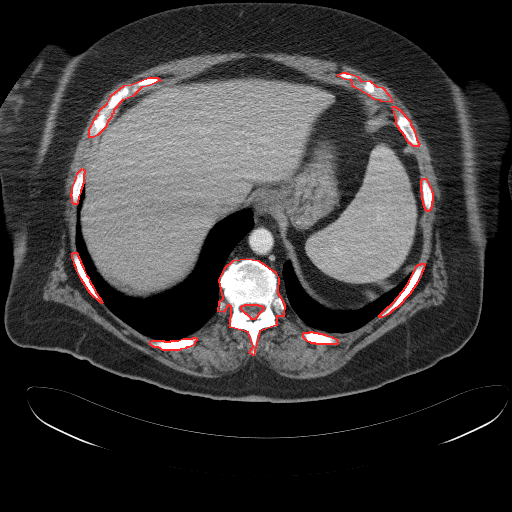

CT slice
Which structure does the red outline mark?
red: bones.
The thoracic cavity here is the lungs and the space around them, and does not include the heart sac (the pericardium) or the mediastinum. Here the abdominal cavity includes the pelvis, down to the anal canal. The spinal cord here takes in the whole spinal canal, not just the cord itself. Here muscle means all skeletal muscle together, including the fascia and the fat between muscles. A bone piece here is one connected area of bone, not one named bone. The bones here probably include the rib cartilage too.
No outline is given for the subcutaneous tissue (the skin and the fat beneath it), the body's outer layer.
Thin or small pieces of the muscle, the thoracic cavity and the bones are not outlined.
The bones appear in 10 outlined pieces: piece 1: [[246,258],[258,260],[275,272],[278,278],[277,292],[284,304],[283,316],[276,316],[276,325],[259,331],[253,355],[249,352],[253,346],[248,332],[230,327],[231,306],[228,304],[223,312],[218,311],[219,301],[223,298],[219,280],[225,267],[233,260]]; inner edge: [[245,304],[257,304],[258,305],[261,305],[263,307],[263,309],[257,315],[257,316],[254,319],[251,319],[251,318],[247,314],[246,314],[241,309],[241,306],[242,305],[244,305]]; piece 2: [[148,77],[157,77],[160,80],[150,85],[141,87],[132,96],[122,100],[113,110],[113,113],[111,114],[111,117],[107,121],[105,127],[97,135],[93,137],[89,137],[89,130],[94,119],[98,114],[99,110],[107,103],[111,95],[124,85],[131,84]]; piece 3: [[342,72],[345,72],[346,73],[349,73],[355,75],[357,76],[361,81],[369,80],[376,86],[382,87],[389,95],[391,99],[391,102],[381,101],[380,100],[374,99],[369,95],[354,87],[352,85],[352,81],[351,80],[344,79],[338,76],[338,74]]; piece 4: [[421,263],[424,263],[423,269],[421,272],[421,274],[417,282],[409,294],[397,307],[392,310],[388,314],[382,317],[379,317],[379,315],[388,306],[389,306],[400,294],[400,293],[403,290],[409,281],[416,266],[418,264],[420,264]]; piece 5: [[393,106],[395,106],[398,109],[399,109],[409,120],[410,124],[414,130],[416,139],[419,144],[418,146],[413,146],[410,143],[409,143],[406,139],[405,136],[397,126],[396,124],[396,118],[395,117],[394,111],[392,107]]; piece 6: [[193,337],[195,337],[196,338],[196,340],[194,342],[193,345],[189,347],[186,347],[185,348],[180,349],[179,350],[163,350],[158,347],[154,347],[150,344],[150,341],[152,340],[163,340],[164,341],[170,341],[171,340],[178,340],[183,338],[192,338]]; piece 7: [[73,252],[76,252],[77,253],[77,255],[80,260],[80,262],[83,267],[83,269],[86,275],[88,277],[89,281],[93,287],[95,292],[100,298],[102,302],[101,303],[90,293],[81,279],[76,269],[76,267],[74,264],[74,262],[72,258],[72,253]]; piece 8: [[310,331],[312,331],[313,332],[317,332],[318,333],[322,333],[323,334],[325,334],[326,335],[331,336],[332,337],[335,338],[337,340],[337,343],[336,344],[316,344],[315,343],[311,343],[310,342],[307,341],[303,337],[303,333],[304,332],[309,332]]; piece 9: [[423,178],[425,178],[426,179],[426,180],[431,189],[431,191],[432,192],[432,201],[431,202],[431,207],[430,208],[430,209],[428,211],[427,211],[425,209],[425,208],[424,207],[424,205],[423,204],[423,200],[422,199],[422,192],[421,191],[421,180]]; piece 10: [[82,168],[84,170],[84,173],[83,174],[83,183],[82,184],[82,186],[81,187],[81,189],[80,190],[80,192],[78,196],[77,203],[76,204],[74,204],[72,202],[72,197],[71,196],[71,193],[72,192],[72,187],[75,181],[77,173]]. The mediastinum is outlined by [[253,212],[265,214],[266,216],[269,216],[275,222],[279,239],[281,240],[281,244],[283,246],[283,249],[285,250],[285,260],[281,268],[281,278],[269,265],[252,257],[246,257],[239,260],[233,259],[225,266],[228,256],[234,247],[253,228],[254,226]]. The spinal cord is outlined by [[245,304],[257,304],[258,305],[261,305],[263,307],[263,309],[257,315],[257,316],[254,319],[251,319],[251,318],[247,314],[246,314],[241,309],[241,306],[242,305],[244,305]]. The torso is outlined by [[239,1],[317,4],[364,16],[413,41],[460,84],[465,73],[483,77],[507,102],[511,139],[498,237],[486,250],[477,327],[455,353],[375,389],[274,403],[177,393],[8,337],[13,264],[1,195],[0,107],[16,82],[52,42],[78,53],[155,12]]. The muscle is outlined by [[236,51],[265,53],[282,52],[288,54],[297,53],[322,59],[330,59],[338,63],[344,63],[350,65],[384,82],[393,90],[394,93],[403,102],[416,121],[420,129],[421,135],[429,147],[430,154],[433,160],[432,163],[434,171],[438,178],[438,184],[441,189],[441,200],[439,202],[440,210],[437,212],[439,216],[437,219],[438,222],[437,226],[440,234],[441,251],[444,258],[443,259],[444,267],[447,274],[447,288],[443,302],[439,305],[419,310],[405,322],[396,326],[361,349],[346,364],[339,369],[323,376],[307,379],[286,377],[278,374],[274,370],[257,360],[249,361],[246,365],[242,366],[237,371],[220,377],[200,377],[187,374],[171,368],[149,355],[132,347],[77,310],[54,301],[45,301],[42,298],[43,292],[42,288],[52,269],[60,245],[59,244],[62,229],[65,227],[65,223],[63,220],[64,216],[63,201],[66,199],[64,194],[65,178],[78,138],[82,133],[90,113],[94,109],[95,105],[114,84],[130,77],[135,73],[138,73],[160,63],[192,55],[219,52],[227,53]]; inner edges: [[253,57],[348,86],[352,81],[338,76],[345,72],[385,90],[391,102],[377,101],[394,122],[393,106],[409,120],[419,144],[409,149],[432,192],[416,263],[424,266],[397,307],[351,331],[314,329],[285,308],[274,327],[259,331],[252,355],[248,332],[230,327],[228,304],[186,337],[196,338],[193,345],[163,350],[99,302],[74,264],[77,205],[71,193],[98,137],[89,137],[89,130],[124,85],[148,77],[181,80]], then [[310,331],[312,331],[313,332],[317,332],[318,333],[322,333],[323,334],[325,334],[326,335],[331,336],[332,337],[335,338],[337,340],[337,343],[336,344],[316,344],[315,343],[311,343],[310,342],[307,341],[303,337],[303,333],[304,332],[309,332]]. The thoracic cavity appears in 2 outlined pieces: piece 1: [[83,184],[79,223],[87,253],[101,278],[131,298],[145,299],[179,285],[196,267],[212,228],[236,212],[248,208],[252,211],[253,226],[233,247],[219,277],[222,296],[217,311],[199,329],[178,339],[154,339],[123,321],[102,301],[76,247],[77,204]]; piece 2: [[286,260],[290,261],[299,284],[308,296],[327,309],[341,312],[355,311],[367,306],[394,288],[413,271],[399,294],[379,314],[354,330],[343,333],[330,333],[312,328],[295,313],[285,308],[283,297],[278,292],[278,289],[279,278],[282,278],[282,268]]. The abdominal cavity is outlined by [[253,57],[312,79],[352,86],[379,102],[415,156],[423,205],[419,257],[399,283],[359,309],[333,310],[308,295],[286,259],[276,222],[248,207],[211,228],[183,281],[145,298],[110,286],[88,253],[80,223],[84,174],[90,150],[114,110],[152,84]]. The left arm is outlined by [[511,165],[511,198],[509,196],[509,192],[508,191],[508,184],[507,183],[507,175],[508,174],[508,170],[509,169],[509,167]].